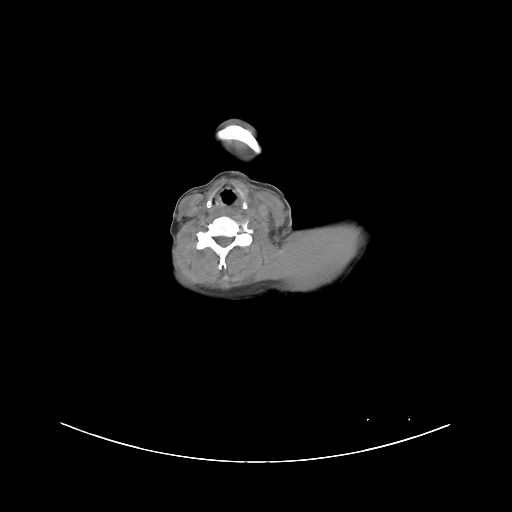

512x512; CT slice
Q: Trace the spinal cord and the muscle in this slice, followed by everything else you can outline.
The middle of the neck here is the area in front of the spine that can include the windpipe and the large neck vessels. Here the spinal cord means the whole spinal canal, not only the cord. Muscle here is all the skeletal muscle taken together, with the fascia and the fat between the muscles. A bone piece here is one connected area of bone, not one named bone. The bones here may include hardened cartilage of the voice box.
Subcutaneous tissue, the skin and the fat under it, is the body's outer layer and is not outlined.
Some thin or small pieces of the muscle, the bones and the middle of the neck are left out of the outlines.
A: Outlines:
spinal cord: 218 236; 224 236; 225 237; 233 237; 233 240; 229 244; 228 244; 226 246; 221 246; 219 244; 218 244; 217 243; 217 242; 214 239; 214 237; 217 237
muscle 1: 229 175; 241 176; 250 183; 277 194; 286 209; 288 231; 351 222; 363 229; 366 242; 337 276; 311 289; 284 289; 275 285; 276 282; 273 280; 228 289; 185 283; 176 273; 174 260; 174 234; 179 204; 185 196; 207 187; 222 176 with a hole at 226 183; 239 187; 249 202; 247 211; 229 216; 238 222; 247 219; 248 227; 253 232; 251 243; 248 246; 233 247; 225 257; 226 267; 219 269; 219 256; 210 247; 196 248; 196 233; 219 216; 208 209; 206 202; 219 186
muscle 2: 226 140; 237 140; 238 141; 240 141; 244 143; 246 145; 247 145; 253 151; 255 155; 251 159; 249 159; 248 160; 243 160; 242 159; 240 159; 233 153; 229 151; 224 146; 223 141; 225 141
middle of the neck: 226 183; 233 184; 242 190; 240 189; 238 191; 238 194; 243 199; 246 196; 247 200; 249 202; 249 209; 247 211; 243 213; 236 213; 230 215; 225 214; 219 215; 217 213; 213 213; 208 209; 212 205; 211 202; 215 191; 219 186
head and neck 1: 233 168; 245 172; 255 180; 272 184; 283 192; 291 208; 289 233; 262 297; 241 300; 216 300; 184 292; 173 284; 168 274; 169 250; 171 243; 169 228; 175 203; 179 196; 186 190; 194 186; 206 183; 214 175; 221 171
head and neck 2: 230 117; 238 117; 239 118; 242 118; 249 122; 257 129; 263 140; 263 147; 264 148; 263 155; 261 155; 258 158; 250 163; 235 162; 232 160; 227 154; 224 154; 217 149; 216 146; 214 144; 213 130; 217 124; 221 121
bones 1: 223 215; 229 216; 238 222; 247 219; 248 227; 252 229; 253 232; 251 234; 251 243; 248 246; 233 247; 225 257; 226 267; 219 269; 219 256; 210 247; 202 249; 196 248; 196 233; 202 229; 203 230; 206 227; 205 226; 215 218 with a hole at 218 236; 224 236; 225 237; 233 237; 233 240; 229 244; 228 244; 226 246; 221 246; 219 244; 218 244; 217 243; 217 242; 214 239; 214 237; 217 237
bones 2: 231 124; 239 125; 249 130; 252 133; 252 134; 255 137; 261 146; 261 148; 262 149; 261 153; 259 154; 256 154; 247 144; 237 139; 226 139; 225 140; 220 140; 219 139; 217 139; 215 136; 216 132; 224 128; 226 126; 230 125
torso: 373 208; 379 210; 381 218; 379 227; 376 232; 375 245; 363 261; 355 268; 345 281; 334 289; 329 291; 324 291; 312 297; 289 295; 264 296; 290 233; 291 221; 293 226; 299 226; 328 220; 346 214; 354 214; 358 216; 361 213